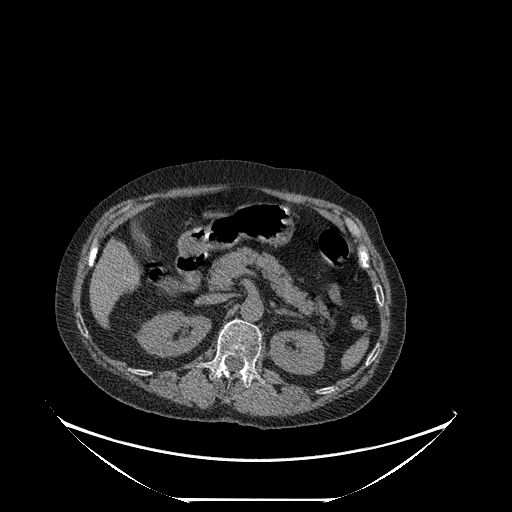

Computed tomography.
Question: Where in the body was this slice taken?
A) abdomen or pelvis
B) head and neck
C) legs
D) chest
Answer: A) abdomen or pelvis
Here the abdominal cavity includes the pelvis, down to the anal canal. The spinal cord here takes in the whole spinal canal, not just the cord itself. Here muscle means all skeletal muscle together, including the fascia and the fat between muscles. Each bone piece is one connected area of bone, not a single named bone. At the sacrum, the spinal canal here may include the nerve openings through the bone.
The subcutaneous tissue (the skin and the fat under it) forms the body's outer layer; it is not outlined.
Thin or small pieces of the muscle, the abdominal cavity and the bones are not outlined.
The abdominal cavity is outlined by [[230,188],[251,188],[307,205],[354,241],[379,308],[379,332],[353,373],[317,388],[291,383],[263,366],[262,332],[256,324],[238,317],[221,327],[215,344],[172,369],[130,366],[107,355],[90,335],[82,315],[82,289],[104,239],[128,217],[160,199]]. The bones appear in 10 outlined pieces: piece 1: [[236,318],[256,325],[261,332],[262,348],[256,360],[255,368],[265,381],[263,384],[257,379],[253,379],[249,387],[245,387],[239,377],[230,379],[224,376],[210,378],[210,370],[208,368],[196,367],[199,362],[210,361],[214,357],[220,330],[227,322]]; inner edge: [[228,356],[233,356],[234,357],[239,357],[240,358],[241,358],[241,359],[243,362],[243,366],[240,369],[239,369],[236,371],[230,371],[228,369],[228,368],[227,367],[227,366],[225,363],[225,359]]; piece 2: [[360,242],[365,245],[365,246],[367,249],[367,252],[369,255],[369,263],[370,264],[370,266],[368,268],[367,268],[366,269],[361,266],[361,265],[360,264],[360,262],[359,261],[359,256],[358,255],[358,250],[357,249],[357,248],[358,247],[358,244]]; piece 3: [[96,236],[98,238],[98,249],[97,250],[97,253],[96,254],[96,257],[94,260],[93,265],[91,267],[89,267],[87,264],[87,261],[88,260],[88,255],[89,254],[89,251],[90,250],[90,248],[91,247],[91,245],[92,244],[93,239]]; piece 4: [[78,311],[79,311],[81,313],[81,315],[83,318],[83,321],[87,328],[88,333],[91,337],[91,338],[90,339],[89,339],[88,338],[86,338],[84,336],[83,336],[81,334],[80,331],[77,327],[77,325],[76,324],[76,313]]; piece 5: [[343,216],[347,216],[353,220],[353,221],[356,224],[356,225],[358,227],[358,228],[359,229],[359,231],[360,232],[360,236],[359,237],[355,237],[350,232],[350,231],[348,229],[348,228],[346,226],[346,225],[344,223],[344,222],[343,221]]; piece 6: [[377,282],[381,285],[381,286],[382,287],[382,289],[383,290],[383,294],[384,295],[384,304],[382,307],[379,307],[378,306],[378,304],[376,302],[376,299],[375,298],[375,293],[374,292],[374,290],[373,289],[373,285]]; piece 7: [[378,340],[380,342],[380,346],[379,347],[379,351],[378,352],[376,357],[374,359],[374,360],[368,366],[365,366],[365,365],[364,364],[364,362],[365,361],[365,360],[366,359],[368,354],[371,351],[371,350],[375,345],[376,342]]; piece 8: [[129,366],[130,367],[132,367],[133,368],[141,368],[142,369],[145,369],[146,370],[151,370],[152,371],[153,371],[153,374],[152,375],[148,375],[147,376],[140,376],[139,375],[137,375],[136,374],[134,374],[133,373],[128,371],[127,370],[127,368]]; piece 9: [[330,385],[336,385],[338,387],[338,389],[337,390],[335,390],[333,392],[332,392],[331,393],[327,393],[326,394],[318,394],[317,393],[315,393],[315,390],[316,389],[317,389],[318,388],[321,388],[322,387],[324,387],[325,386],[329,386]]; piece 10: [[127,205],[130,205],[130,207],[129,208],[129,209],[128,209],[126,211],[125,211],[124,212],[119,214],[115,218],[112,219],[109,222],[108,222],[107,223],[105,223],[106,220],[111,214],[116,212],[122,207],[123,207],[124,206],[126,206]]. The torso is outlined by [[210,158],[246,159],[276,167],[312,170],[360,197],[373,210],[404,283],[406,332],[389,378],[375,396],[356,412],[333,421],[280,429],[165,417],[134,408],[105,393],[80,370],[66,349],[55,321],[55,284],[64,251],[86,215],[113,191],[147,172]]. The spinal cord is outlined by [[228,356],[233,356],[234,357],[239,357],[240,358],[241,358],[241,359],[243,362],[243,366],[240,369],[239,369],[236,371],[230,371],[228,369],[228,368],[227,367],[227,366],[225,363],[225,359]]. The muscle is outlined by [[218,184],[257,185],[321,198],[346,208],[362,222],[383,261],[391,294],[387,343],[372,376],[362,387],[302,413],[254,416],[241,413],[227,404],[202,409],[172,402],[106,370],[92,359],[78,330],[86,339],[92,339],[107,356],[124,362],[128,366],[128,372],[140,377],[152,376],[154,371],[179,368],[201,356],[214,343],[213,357],[199,361],[195,367],[208,369],[210,379],[239,378],[244,387],[249,388],[253,380],[263,385],[266,382],[256,368],[263,347],[264,368],[275,371],[291,384],[315,388],[314,393],[318,395],[337,391],[339,387],[334,384],[337,381],[353,374],[363,364],[368,367],[375,360],[381,346],[377,339],[380,332],[380,308],[385,304],[385,295],[382,285],[377,281],[372,284],[368,274],[367,269],[371,264],[366,245],[360,241],[357,245],[348,233],[317,209],[251,187],[230,187],[201,194],[160,198],[128,216],[99,246],[96,235],[87,255],[86,264],[89,270],[81,289],[81,312],[78,310],[75,313],[75,322],[72,290],[82,247],[97,221],[108,209],[124,200],[155,192]]; inner edges: [[343,216],[347,216],[353,220],[353,221],[356,224],[356,225],[358,227],[358,228],[359,229],[359,231],[360,232],[360,236],[359,237],[355,237],[350,232],[350,231],[348,229],[348,228],[346,226],[346,225],[344,223],[344,222],[343,221]], then [[127,205],[130,205],[130,207],[129,208],[129,209],[128,209],[126,211],[125,211],[124,212],[119,214],[115,218],[112,219],[109,222],[108,222],[107,223],[105,223],[106,220],[111,214],[116,212],[122,207],[123,207],[124,206],[126,206]].